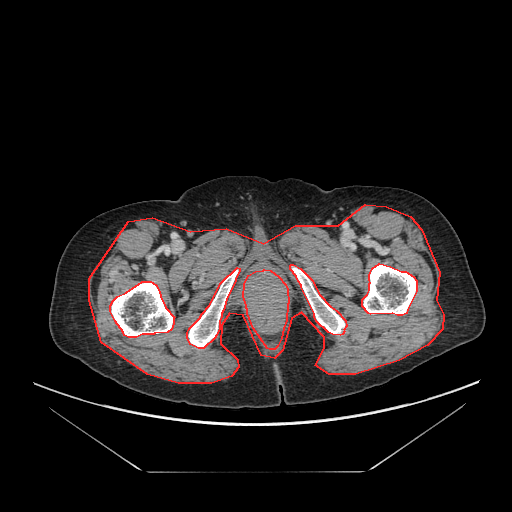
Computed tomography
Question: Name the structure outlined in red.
Answer: red: muscle.
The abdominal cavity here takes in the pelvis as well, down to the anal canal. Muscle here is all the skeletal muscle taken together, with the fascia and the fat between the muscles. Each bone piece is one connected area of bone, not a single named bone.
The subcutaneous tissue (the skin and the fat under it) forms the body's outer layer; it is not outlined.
Outlined structures:
muscle: 365,204 386,206 410,216 421,229 439,272 436,300 443,314 442,329 427,345 399,360 355,374 329,374 315,365 324,348 324,337 301,312 291,318 282,350 274,358 261,355 243,315 229,313 221,325 220,343 237,359 238,367 231,376 211,383 178,383 147,374 101,342 89,300 89,278 128,221 152,217 190,231 226,228 263,243 295,225 338,225; inner edges: 264,269 270,270 278,276 285,284 287,289 288,303 287,304 286,320 283,328 281,338 277,346 274,349 269,349 267,348 253,328 247,313 247,309 246,308 246,305 243,296 244,284 248,275 255,271 263,270, then 142,281 150,281 155,284 159,291 160,296 165,307 174,317 173,318 173,323 171,329 167,332 154,333 153,334 142,334 136,337 128,337 124,335 123,332 115,321 110,311 110,305 113,300 117,296 126,292, then 379,263 390,266 401,271 405,271 413,276 416,280 416,291 407,309 406,313 402,315 397,315 392,313 370,314 368,313 362,306 362,299 367,294 369,290 369,283 370,282 369,280 369,275 370,272 372,268, then 237,267 239,268 239,271 235,278 235,280 226,299 223,310 221,313 221,316 219,321 219,328 216,335 214,338 203,348 198,348 190,344 187,337 187,332 189,328 199,318 202,313 209,305 221,282, then 291,264 293,264 300,268 311,279 319,294 330,306 336,310 345,320 346,326 343,330 344,331 342,334 340,335 332,334 328,332 316,321 314,316 314,313 301,287 301,285 298,281 296,276 290,269 290,265
abdominal cavity: 264,269 270,270 278,276 285,284 287,289 288,303 287,304 286,320 283,328 281,338 277,346 274,349 269,349 267,348 253,328 247,313 247,309 246,308 246,305 243,296 244,284 248,275 255,271 263,270
torso: 228,175 298,178 323,189 392,186 422,195 443,213 462,243 484,303 483,331 384,385 329,401 292,406 282,401 262,409 160,400 120,386 64,354 50,335 48,313 57,264 73,234 109,209 176,199 190,187
bones 1: 142,281 150,281 155,284 159,291 160,296 165,307 174,317 173,318 173,323 171,329 167,332 154,333 153,334 142,334 136,337 128,337 124,335 123,332 115,321 110,311 110,305 113,300 117,296 126,292
bones 2: 379,263 390,266 401,271 405,271 413,276 416,280 416,291 407,309 406,313 402,315 397,315 392,313 370,314 368,313 362,306 362,299 367,294 369,290 369,283 370,282 369,280 369,275 370,272 372,268
bones 3: 237,267 239,268 239,271 235,278 235,280 226,299 223,310 221,313 221,316 219,321 219,328 216,335 214,338 203,348 198,348 190,344 187,337 187,332 189,328 199,318 202,313 209,305 221,282
bones 4: 291,264 293,264 300,268 311,279 319,294 330,306 336,310 345,320 346,326 343,330 344,331 342,334 340,335 332,334 328,332 316,321 314,316 314,313 301,287 301,285 298,281 296,276 290,269 290,265